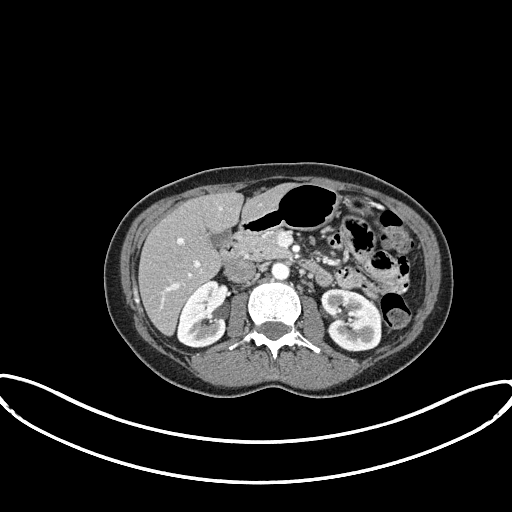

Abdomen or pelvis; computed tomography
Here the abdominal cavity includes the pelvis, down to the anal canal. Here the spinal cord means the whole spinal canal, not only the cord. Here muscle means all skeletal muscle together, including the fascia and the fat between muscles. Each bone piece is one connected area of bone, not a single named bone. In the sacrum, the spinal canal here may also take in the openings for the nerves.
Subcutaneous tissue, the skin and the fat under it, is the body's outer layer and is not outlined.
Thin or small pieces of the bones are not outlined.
torso: [[220,398],[242,396],[269,387],[312,398],[336,397],[379,383],[411,363],[443,327],[453,296],[451,254],[434,217],[409,194],[381,178],[323,162],[211,168],[165,184],[136,202],[115,229],[104,260],[104,294],[110,318],[136,356],[157,375],[189,391]]
muscle: [[312,390],[323,389],[336,384],[339,384],[359,374],[366,368],[373,365],[377,361],[395,352],[397,352],[404,347],[407,346],[416,338],[422,330],[423,326],[429,318],[429,316],[433,308],[435,306],[437,300],[437,294],[439,290],[440,279],[441,278],[441,259],[440,258],[439,247],[435,234],[428,223],[419,214],[409,206],[395,198],[386,195],[377,190],[368,187],[365,187],[358,184],[334,180],[333,179],[330,179],[325,177],[320,177],[319,176],[273,175],[272,176],[268,176],[267,177],[263,177],[257,179],[252,179],[251,180],[230,182],[229,183],[209,184],[208,185],[198,186],[184,191],[181,193],[158,200],[141,212],[133,220],[126,234],[121,249],[120,263],[119,264],[120,266],[120,280],[122,286],[122,292],[124,298],[128,305],[129,310],[132,315],[135,328],[137,332],[146,342],[159,352],[166,355],[171,359],[185,367],[195,376],[206,382],[208,382],[216,386],[238,387],[239,386],[256,384],[263,381],[278,380],[287,384],[289,384],[294,387],[297,387],[302,389],[311,389]] with a hole at [[273,359],[284,345],[320,351],[294,325],[302,295],[317,302],[324,340],[355,357],[409,329],[424,295],[423,253],[389,206],[275,179],[195,196],[148,232],[133,297],[160,337],[191,351],[227,339],[229,301],[244,291],[254,327],[229,349],[252,340]]
bones: [[273,359],[276,358],[278,350],[284,345],[306,346],[317,353],[320,349],[305,338],[294,325],[301,313],[301,304],[293,286],[269,281],[255,286],[250,292],[247,308],[254,327],[240,341],[229,346],[229,349],[252,340],[257,346],[263,344],[267,346]], around a hole outlined by [[271,339],[276,339],[277,338],[278,338],[283,334],[286,333],[289,330],[289,328],[286,325],[285,325],[284,324],[283,324],[280,322],[265,322],[264,323],[263,323],[259,327],[259,331],[260,332],[263,333],[267,337],[268,337]]
abdominal cavity: [[355,357],[409,329],[424,295],[419,240],[409,224],[378,199],[307,181],[269,180],[195,196],[162,217],[142,242],[137,289],[146,317],[162,339],[191,351],[227,339],[231,297],[249,293],[264,281],[281,281],[293,285],[300,298],[316,300],[324,340]]
spinal cord: [[271,339],[276,339],[277,338],[278,338],[283,334],[286,333],[289,330],[289,328],[286,325],[285,325],[284,324],[283,324],[280,322],[265,322],[264,323],[263,323],[259,327],[259,331],[260,332],[263,333],[267,337],[268,337]]